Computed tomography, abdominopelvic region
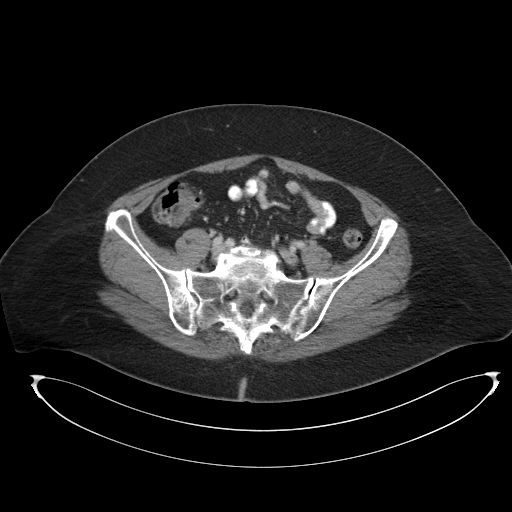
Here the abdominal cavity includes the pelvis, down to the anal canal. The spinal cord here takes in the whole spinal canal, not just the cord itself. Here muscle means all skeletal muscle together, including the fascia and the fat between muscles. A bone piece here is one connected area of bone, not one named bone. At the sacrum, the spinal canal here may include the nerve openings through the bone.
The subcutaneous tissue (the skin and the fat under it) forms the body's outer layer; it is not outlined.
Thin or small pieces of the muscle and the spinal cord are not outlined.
Outlines:
torso: [[222,103],[286,104],[326,110],[371,125],[410,149],[443,180],[511,262],[511,334],[501,340],[453,349],[363,387],[304,400],[261,403],[166,389],[71,351],[41,348],[17,352],[0,292],[0,257],[10,243],[49,207],[93,156],[121,135],[169,113]]
spinal cord 1: [[246,302],[248,302],[252,306],[252,311],[251,312],[251,313],[250,314],[250,315],[249,316],[245,316],[241,312],[241,311],[240,310],[240,307],[244,303],[245,303]]
spinal cord 2: [[231,291],[234,291],[235,292],[235,295],[233,297],[233,298],[231,300],[230,300],[229,301],[228,301],[227,300],[226,300],[226,299],[225,298],[225,296],[226,295],[226,294],[227,293],[228,293],[229,292],[230,292]]
bones: [[121,208],[142,245],[168,269],[211,271],[220,253],[239,245],[274,251],[293,279],[339,276],[367,252],[382,218],[397,228],[381,254],[337,290],[308,335],[295,341],[274,326],[247,355],[221,322],[193,335],[174,326],[157,273],[105,230],[108,213]], around holes outlined by [[246,302],[248,302],[252,306],[252,311],[251,312],[251,313],[250,314],[250,315],[249,316],[245,316],[241,312],[241,311],[240,310],[240,307],[244,303],[245,303]] and by [[231,291],[234,291],[235,292],[235,295],[233,297],[233,298],[231,300],[230,300],[229,301],[228,301],[227,300],[226,300],[226,299],[225,298],[225,296],[226,295],[226,294],[227,293],[228,293],[229,292],[230,292]]
abdominal cavity: [[260,158],[284,173],[335,183],[359,202],[371,234],[348,259],[334,261],[309,239],[300,255],[310,275],[293,278],[278,265],[274,250],[239,244],[201,271],[196,268],[210,248],[205,229],[186,229],[173,250],[141,228],[137,216],[181,176],[232,171]]
muscle: [[247,154],[271,155],[313,167],[366,190],[400,218],[410,243],[410,304],[393,325],[287,362],[273,363],[242,355],[211,361],[164,346],[99,303],[96,291],[105,276],[98,248],[104,227],[156,273],[168,317],[182,334],[193,336],[199,328],[221,323],[218,329],[232,333],[239,349],[248,356],[253,351],[255,341],[273,334],[274,327],[297,342],[320,324],[338,290],[382,254],[398,228],[394,218],[382,217],[366,252],[345,272],[311,275],[301,255],[309,240],[341,263],[360,252],[371,237],[360,202],[343,186],[284,172],[271,158],[268,157],[260,157],[232,170],[181,175],[136,220],[154,242],[173,251],[186,230],[205,230],[209,248],[195,269],[168,268],[157,261],[139,239],[126,208],[112,209],[106,216],[120,196],[145,182]]